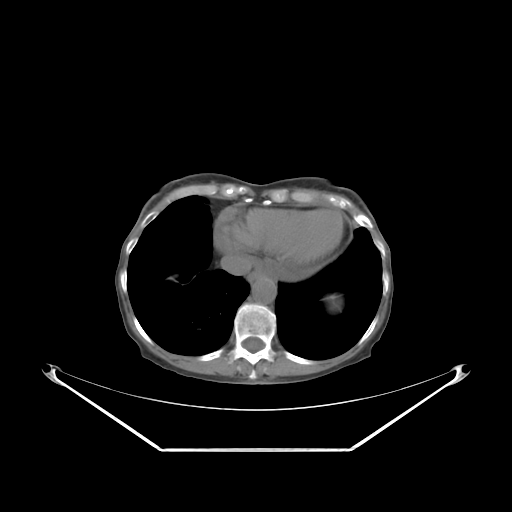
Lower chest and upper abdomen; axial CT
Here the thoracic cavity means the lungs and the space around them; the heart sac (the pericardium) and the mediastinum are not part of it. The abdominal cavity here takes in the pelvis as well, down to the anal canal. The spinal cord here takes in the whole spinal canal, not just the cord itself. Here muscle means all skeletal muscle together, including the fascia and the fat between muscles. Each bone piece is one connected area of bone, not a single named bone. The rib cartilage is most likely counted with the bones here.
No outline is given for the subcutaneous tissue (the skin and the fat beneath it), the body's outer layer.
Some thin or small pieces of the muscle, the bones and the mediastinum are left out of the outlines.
Outlined structures:
spinal cord: 250 337; 253 337; 254 338; 258 338; 260 339; 263 342; 263 347; 261 349; 257 351; 255 351; 254 352; 251 352; 249 351; 246 348; 245 348; 243 346; 243 342; 244 340
pericardium: 240 202; 268 205; 271 203; 310 205; 320 202; 331 204; 341 209; 347 215; 351 221; 352 235; 343 251; 333 261; 306 279; 290 282; 267 276; 257 272; 248 260; 237 256; 221 254; 216 251; 214 247; 214 219; 224 208; 233 203
torso: 198 172; 227 174; 257 184; 300 176; 325 177; 354 190; 362 197; 389 244; 394 275; 390 317; 368 358; 307 382; 249 386; 218 384; 182 377; 140 355; 138 347; 125 331; 116 299; 114 271; 120 246; 142 205; 160 186; 170 180
muscle 1: 374 225; 385 244; 388 254; 390 291; 386 312; 380 327; 364 347; 354 356; 330 368; 314 373; 285 375; 272 378; 257 378; 254 368; 250 371; 247 376; 248 378; 192 372; 174 366; 152 353; 133 332; 129 325; 118 285; 118 273; 125 245; 124 252; 128 256; 128 262; 127 267; 123 268; 119 272; 119 283; 122 291; 128 295; 134 314; 132 315; 133 324; 139 334; 150 345; 153 346; 157 344; 168 352; 186 356; 196 356; 195 359; 197 361; 206 362; 219 358; 226 349; 225 345; 232 337; 232 346; 227 352; 229 361; 232 362; 242 358; 252 366; 262 359; 268 362; 274 361; 276 351; 273 347; 273 341; 275 338; 279 343; 278 346; 283 348; 281 349; 283 355; 288 360; 298 364; 315 365; 318 363; 317 360; 338 356; 355 344; 357 346; 360 345; 372 333; 379 319; 379 315; 376 313; 381 297; 384 296; 389 290; 389 273; 386 269; 382 269; 382 260; 384 260; 386 257; 384 244; 379 239; 372 237; 369 231; 374 228
muscle 2: 247 187; 252 189; 254 191; 258 193; 264 190; 267 190; 268 189; 276 189; 277 188; 286 188; 287 187; 299 187; 300 188; 307 188; 308 189; 316 189; 317 190; 321 190; 322 191; 327 191; 328 192; 331 192; 332 193; 336 193; 340 195; 343 195; 347 198; 343 197; 342 196; 335 195; 332 193; 326 193; 325 192; 323 193; 317 193; 316 192; 311 192; 310 191; 302 191; 301 190; 293 190; 292 191; 288 191; 288 190; 285 188; 279 188; 278 189; 275 189; 273 190; 269 194; 269 197; 267 198; 264 198; 261 201; 255 201; 254 198; 251 196; 244 196; 242 197; 243 195; 245 195; 247 193; 248 191; 248 188
muscle 3: 176 188; 177 188; 175 190; 170 192; 167 195; 165 196; 164 198; 164 200; 167 204; 167 205; 166 205; 165 207; 163 208; 163 209; 162 209; 160 211; 154 208; 150 210; 147 213; 146 213; 167 193; 170 192; 172 190
muscle 4: 140 221; 139 226; 142 229; 143 229; 142 230; 142 231; 141 232; 139 237; 138 236; 133 236; 132 237; 131 237; 129 239; 129 237; 130 236; 130 235; 132 233; 132 232; 134 230; 134 229; 136 227; 136 226; 139 223; 139 222
muscle 5: 352 202; 354 204; 355 204; 361 210; 362 210; 362 211; 364 213; 363 213; 362 212; 354 212; 351 215; 347 211; 349 209; 350 209; 353 206; 353 204; 352 203
thoracic cavity 1: 192 195; 198 195; 205 199; 211 216; 212 252; 206 269; 209 271; 220 269; 230 275; 241 277; 249 287; 248 294; 236 309; 232 336; 223 346; 199 355; 174 353; 156 343; 135 315; 127 285; 129 256; 143 230; 166 206; 178 199, around a hole outlined by 175 271; 177 271; 178 272; 179 272; 179 275; 180 276; 179 277; 179 280; 182 283; 183 283; 184 284; 180 284; 179 283; 169 283; 168 282; 167 282; 164 280; 164 277; 166 275; 166 274; 167 274; 169 272; 174 272
thoracic cavity 2: 359 227; 363 227; 369 232; 381 259; 381 296; 376 312; 369 325; 356 343; 342 353; 332 357; 323 359; 307 358; 285 349; 276 337; 277 316; 275 304; 278 296; 279 283; 300 282; 315 275; 333 262; 348 247; 355 238; 354 231; inner edge: 332 290; 339 290; 343 292; 345 294; 345 301; 346 302; 346 304; 345 305; 345 308; 343 312; 341 314; 337 315; 336 316; 330 316; 328 315; 324 311; 323 306; 320 302; 320 297; 322 295; 322 294; 323 294; 325 292; 328 292
mediastinum 1: 202 196; 243 198; 243 201; 233 202; 221 209; 213 219; 213 247; 221 255; 248 261; 259 274; 289 282; 278 283; 274 311; 263 303; 244 301; 250 287; 241 276; 230 274; 220 268; 207 269; 213 252; 212 216; 206 199
mediastinum 2: 343 210; 345 210; 351 216; 351 218; 353 221; 356 224; 357 224; 358 226; 359 226; 353 231; 353 235; 354 236; 354 238; 350 242; 346 248; 346 246; 350 241; 353 235; 353 225; 352 224; 352 221; 348 215
bones 1: 244 302; 255 302; 263 304; 275 313; 276 335; 272 341; 272 347; 275 351; 273 361; 268 361; 266 359; 262 358; 253 365; 242 357; 230 361; 230 356; 228 354; 228 352; 233 346; 234 342; 234 338; 232 335; 234 318; 237 309; inner edge: 250 337; 253 337; 254 338; 258 338; 260 339; 263 342; 263 347; 261 349; 257 351; 255 351; 254 352; 251 352; 249 351; 246 348; 245 348; 243 346; 243 342; 244 340
bones 2: 279 189; 285 189; 288 192; 301 191; 317 194; 324 193; 332 194; 349 200; 352 206; 346 210; 331 203; 323 201; 300 203; 293 201; 290 198; 285 202; 274 201; 269 204; 262 203; 261 202; 264 199; 270 197; 270 194; 273 191
bones 3: 206 184; 215 185; 219 188; 230 184; 237 187; 241 185; 245 186; 247 188; 247 191; 245 194; 238 195; 236 197; 232 198; 223 197; 219 193; 212 196; 192 194; 178 198; 168 204; 165 200; 166 196; 180 187; 188 185; 205 185
bones 4: 354 213; 362 213; 363 214; 364 214; 366 216; 367 216; 371 221; 371 222; 373 225; 373 228; 371 230; 368 230; 365 227; 364 227; 363 226; 360 226; 359 225; 358 225; 358 224; 357 223; 356 223; 352 218; 352 215
bones 5: 282 349; 284 349; 297 356; 299 356; 303 358; 306 358; 307 359; 312 359; 313 360; 316 360; 317 361; 317 363; 315 364; 302 364; 301 363; 298 363; 297 362; 292 361; 288 359; 284 355; 282 351
bones 6: 224 346; 225 347; 224 351; 221 354; 221 355; 217 358; 214 358; 211 360; 207 360; 206 361; 200 361; 196 359; 196 357; 197 356; 199 356; 200 355; 203 355; 204 354; 206 354; 207 353; 215 351; 219 349; 221 347; 223 347
bones 7: 376 314; 378 315; 378 319; 371 333; 367 337; 366 339; 365 339; 360 344; 357 345; 356 344; 357 342; 360 339; 360 338; 363 335; 365 331; 368 328; 368 327; 370 325; 372 320; 374 318
bones 8: 133 315; 134 315; 136 317; 136 318; 137 319; 138 322; 140 324; 141 327; 144 330; 144 331; 149 336; 149 337; 155 343; 153 345; 150 344; 140 334; 140 333; 138 331; 138 330; 136 328; 136 327; 134 324; 134 322; 133 321
bones 9: 154 209; 155 210; 157 210; 158 211; 159 211; 159 213; 149 223; 148 223; 147 224; 147 225; 144 228; 142 228; 140 226; 140 224; 141 223; 141 221; 143 219; 143 218; 146 215; 146 214; 147 214; 150 211; 151 211
bones 10: 383 269; 384 269; 385 270; 386 270; 387 271; 387 272; 388 273; 388 276; 389 277; 389 281; 388 282; 388 290; 387 291; 387 292; 384 295; 382 295; 382 288; 383 287; 383 283; 382 282; 382 270
bones 11: 123 269; 126 269; 126 270; 127 271; 127 281; 126 282; 126 285; 127 286; 127 294; 126 294; 123 291; 123 290; 122 289; 122 287; 121 286; 121 284; 120 283; 120 272
bones 12: 133 237; 138 237; 138 239; 137 240; 137 242; 135 244; 135 245; 134 246; 134 247; 130 252; 130 253; 129 254; 129 255; 127 255; 125 252; 125 249; 126 248; 126 245; 127 244; 127 243; 128 242; 128 241; 131 238; 132 238
bones 13: 373 238; 375 238; 376 239; 379 240; 383 244; 383 246; 384 247; 384 250; 385 251; 385 257; 384 258; 384 259; 382 259; 381 258; 381 254; 380 253; 379 250; 376 247; 376 246; 374 244; 374 242; 373 241
abdominal cavity 1: 332 290; 339 290; 343 292; 345 294; 345 301; 346 302; 346 304; 345 305; 345 308; 343 312; 341 314; 337 315; 336 316; 330 316; 328 315; 324 311; 323 306; 320 302; 320 297; 322 295; 322 294; 323 294; 325 292; 328 292
abdominal cavity 2: 175 271; 177 271; 178 272; 179 272; 179 275; 180 276; 179 277; 179 280; 182 283; 183 283; 184 284; 180 284; 179 283; 169 283; 168 282; 167 282; 164 280; 164 277; 166 275; 166 274; 167 274; 169 272; 174 272